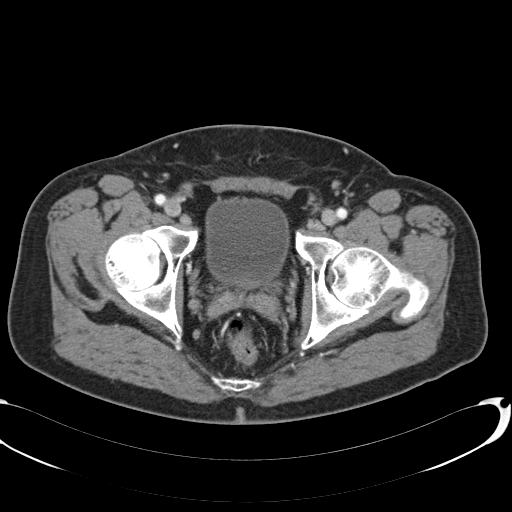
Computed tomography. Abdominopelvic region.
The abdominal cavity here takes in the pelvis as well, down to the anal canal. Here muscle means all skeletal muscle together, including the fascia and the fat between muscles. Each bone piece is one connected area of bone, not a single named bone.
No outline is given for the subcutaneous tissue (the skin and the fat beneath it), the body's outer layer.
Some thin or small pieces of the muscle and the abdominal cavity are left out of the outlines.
{"torso":[[[214,124],[284,126],[338,138],[395,173],[423,179],[451,194],[469,215],[479,240],[488,317],[481,353],[435,380],[368,405],[308,419],[249,425],[200,423],[138,411],[82,393],[24,364],[9,340],[7,307],[22,224],[36,194],[76,165],[170,133]]],"bones":[[[297,229],[304,235],[333,238],[345,248],[365,246],[379,252],[428,286],[430,292],[425,305],[416,316],[400,318],[397,313],[407,301],[408,294],[391,288],[367,314],[338,326],[300,355],[300,344],[311,321],[312,299],[311,267],[295,249]],[[161,225],[171,225],[183,230],[199,229],[195,247],[183,259],[176,279],[175,309],[177,320],[182,328],[180,350],[177,350],[174,345],[176,337],[173,332],[159,320],[131,305],[116,290],[105,268],[105,254],[112,242],[118,237],[126,233],[141,232]],[[211,376],[215,376],[219,378],[246,378],[247,379],[251,379],[252,380],[261,381],[262,382],[262,384],[257,388],[251,388],[250,389],[248,389],[247,390],[243,390],[239,392],[236,392],[235,391],[232,391],[231,390],[222,390],[211,380],[210,378]]],"muscle":[{"outer":[[104,174],[123,175],[166,191],[191,179],[262,175],[314,186],[323,204],[332,206],[365,202],[386,188],[429,199],[455,227],[455,256],[436,351],[389,374],[272,406],[241,397],[192,402],[73,364],[59,356],[51,343],[46,217],[60,197],[89,177]],"hole":[[200,185],[304,191],[302,234],[379,252],[428,286],[425,305],[400,318],[408,294],[391,288],[300,355],[312,299],[298,254],[297,334],[259,387],[222,390],[211,376],[238,377],[208,368],[183,330],[177,350],[104,261],[126,233],[197,228],[184,207]]}],"abdominal_cavity":[[[200,185],[215,193],[251,191],[287,200],[300,191],[306,193],[303,208],[307,218],[294,231],[293,239],[306,273],[300,326],[281,355],[263,373],[251,378],[226,376],[208,368],[184,336],[184,259],[196,247],[200,233],[184,207],[194,197],[194,188]]]}